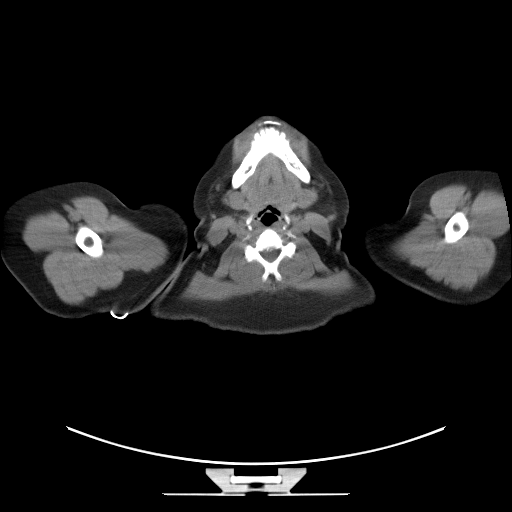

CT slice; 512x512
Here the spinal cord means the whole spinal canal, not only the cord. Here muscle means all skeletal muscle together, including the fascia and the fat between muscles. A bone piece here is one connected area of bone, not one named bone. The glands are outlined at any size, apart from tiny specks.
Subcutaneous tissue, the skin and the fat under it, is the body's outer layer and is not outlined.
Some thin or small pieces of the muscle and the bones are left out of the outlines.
The head and neck is outlined by 266,114 284,118 318,144 343,183 349,199 349,213 339,241 339,272 335,299 314,322 299,331 282,335 255,334 234,325 224,316 212,296 193,236 198,220 193,213 192,198 199,179 229,137 240,132 256,117; inner edge: 268,206 271,206 274,208 276,208 279,213 277,215 277,217 275,220 272,221 269,224 266,224 262,221 261,219 261,216 262,215 260,214 260,212 261,214 262,212 267,212 268,211 266,210 268,209 266,208. The spinal cord is outlined by 271,249 277,249 278,250 279,250 279,251 278,252 278,254 276,256 276,257 273,260 272,260 271,261 269,261 263,257 263,256 261,254 261,252 262,252 265,250 270,250. The submandibular glands appear in 2 outlined pieces: piece 1: 300,190 310,190 311,191 313,191 316,194 316,196 317,197 316,200 314,202 314,203 313,204 312,204 308,208 301,208 298,205 298,203 296,201 294,201 293,200 293,197 296,194 296,193 298,191 299,191; piece 2: 230,192 238,192 239,193 240,193 242,195 242,196 244,199 244,207 243,208 242,208 241,209 238,209 237,210 236,210 233,208 231,208 227,204 227,202 226,201 226,197 227,196 228,193 229,193. The left arm is outlined by 476,165 493,166 503,192 509,225 510,271 508,282 503,288 486,301 474,305 459,306 439,301 400,284 380,272 371,263 362,247 360,232 363,223 376,213 385,214 389,218 401,215 413,189 430,175 452,168. The right arm is outlined by 74,180 98,183 131,208 150,201 169,204 186,220 189,237 185,254 179,260 173,281 145,313 132,315 115,313 114,315 106,312 79,319 58,317 42,310 5,266 2,260 2,233 4,214 8,204 32,189. The muscle appears in 3 outlined pieces: piece 1: 256,124 259,128 252,133 249,148 231,175 231,187 239,188 269,154 278,158 300,181 309,184 309,170 292,148 286,132 276,127 283,124 305,138 313,165 333,192 331,199 336,212 332,224 333,252 354,279 357,285 354,289 326,295 287,288 276,293 258,291 222,301 177,297 183,276 209,254 204,237 214,209 208,200 209,188 228,167 234,140 with holes at 268,226 284,238 286,231 283,227 286,226 295,236 290,239 296,246 294,254 290,258 284,257 278,265 280,281 272,274 263,281 263,266 255,260 248,262 244,256 244,246 249,241 243,239 249,235 253,241 and at 300,190 310,190 311,191 313,191 316,194 316,196 317,197 316,200 314,202 314,203 313,204 312,204 308,208 301,208 298,205 298,203 296,201 294,201 293,200 293,197 296,194 296,193 298,191 299,191 and at 230,192 238,192 239,193 240,193 242,195 242,196 244,199 244,207 243,208 242,208 241,209 238,209 237,210 236,210 233,208 231,208 227,204 227,202 226,201 226,197 227,196 228,193 229,193 and at 268,206 271,206 274,208 276,208 279,213 277,215 277,217 275,220 272,221 269,224 266,224 262,221 261,219 261,216 262,215 260,214 260,212 261,214 262,212 267,212 268,211 266,210 268,209 266,208 and at 250,215 252,215 252,219 250,221 250,225 251,226 251,230 249,230 249,229 248,228 248,227 247,226 247,225 246,224 246,219; piece 2: 80,195 99,198 111,213 130,220 162,239 168,246 169,255 164,264 151,272 127,273 117,287 101,290 82,303 72,305 57,296 43,272 42,258 27,246 21,232 25,219 30,215 49,209 59,210 62,202, around a hole outlined by 82,225 85,225 89,227 91,229 92,229 96,233 97,233 101,238 102,240 102,247 103,248 103,254 100,257 98,257 97,258 91,257 85,252 84,252 77,245 77,244 75,242 75,234 78,228; piece 3: 452,183 466,184 475,193 483,188 494,188 500,193 505,209 506,231 495,242 494,265 485,278 467,291 453,289 441,281 433,280 423,269 411,265 390,249 390,244 414,227 422,214 428,211 428,202 432,193; inner edge: 456,211 462,211 465,214 465,215 468,220 468,224 469,225 469,226 468,227 468,229 467,230 467,231 456,242 454,242 453,243 446,243 444,241 444,227 445,226 445,224 447,222 447,221 449,219 449,218. The torso appears in 2 outlined pieces: piece 1: 194,248 201,264 202,270 205,274 205,279 208,284 211,296 218,310 234,326 246,330 255,335 262,335 254,335 213,329 202,323 189,320 186,321 161,320 150,317 146,313 174,281 181,262 180,260; piece 2: 341,240 342,248 347,254 349,259 367,276 373,284 377,293 376,303 371,307 356,310 353,312 339,316 326,325 317,329 311,331 303,331 302,332 293,333 299,332 304,328 314,323 333,305 336,299 336,292 339,284 340,241. The bones appear in 4 outlined pieces: piece 1: 265,120 275,120 282,123 275,127 285,132 291,148 310,174 309,183 300,180 287,169 278,157 269,153 258,162 254,172 239,187 235,189 232,187 232,175 250,148 250,143 253,138 252,135 260,128 258,124; piece 2: 268,226 284,238 286,231 283,227 286,226 295,236 290,239 296,246 294,254 290,258 284,257 278,265 280,281 272,274 263,281 263,266 255,260 248,262 244,256 244,246 249,241 243,239 249,235 253,241, around a hole outlined by 271,249 277,249 278,250 279,250 279,251 278,252 278,254 276,256 276,257 273,260 272,260 271,261 269,261 263,257 263,256 261,254 261,252 262,252 265,250 270,250; piece 3: 82,225 85,225 89,227 91,229 92,229 96,233 97,233 101,238 102,240 102,247 103,248 103,254 100,257 98,257 97,258 91,257 85,252 84,252 77,245 77,244 75,242 75,234 78,228; piece 4: 456,211 462,211 465,214 465,215 468,220 468,224 469,225 469,226 468,227 468,229 467,230 467,231 456,242 454,242 453,243 446,243 444,241 444,227 445,226 445,224 447,222 447,221 449,219 449,218.